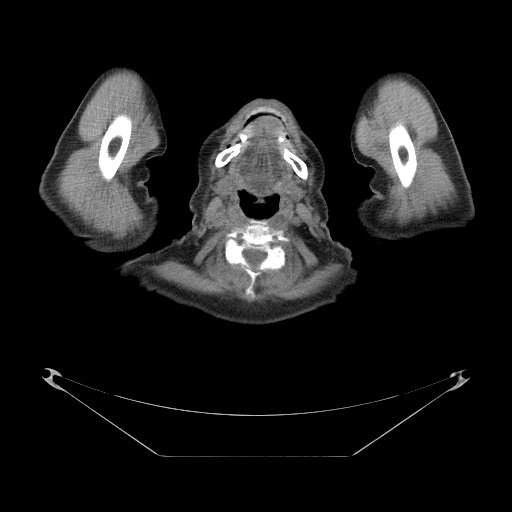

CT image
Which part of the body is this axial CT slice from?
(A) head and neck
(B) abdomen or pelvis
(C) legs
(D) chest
(A) head and neck
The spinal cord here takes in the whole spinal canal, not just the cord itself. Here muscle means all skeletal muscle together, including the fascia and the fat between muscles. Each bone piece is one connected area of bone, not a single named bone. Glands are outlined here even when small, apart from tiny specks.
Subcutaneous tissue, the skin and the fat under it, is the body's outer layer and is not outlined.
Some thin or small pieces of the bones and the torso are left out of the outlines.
{"muscle":[{"outer":[[257,101],[271,101],[285,108],[306,145],[305,150],[315,167],[313,197],[324,241],[344,256],[345,271],[312,295],[261,302],[194,292],[157,277],[144,266],[158,262],[193,239],[202,214],[200,200],[207,185],[208,157],[218,144],[218,137],[247,106]],"holes":[[[242,191],[253,196],[256,204],[278,197],[277,209],[265,218],[270,227],[282,230],[288,238],[281,243],[285,264],[279,269],[263,270],[255,278],[252,298],[245,293],[250,276],[240,264],[230,264],[225,258],[226,235],[248,224],[252,217],[240,205]],[[240,133],[249,136],[246,139],[244,145],[241,147],[240,151],[225,165],[221,167],[216,167],[215,166],[214,162],[215,161],[215,158],[218,154],[218,153],[222,151],[224,149],[227,148],[229,146],[239,142],[240,141],[240,137],[239,136],[239,134]],[[282,147],[286,147],[288,148],[299,158],[300,158],[306,164],[307,166],[307,172],[308,173],[308,175],[306,179],[303,179],[301,178],[294,171],[291,165],[289,163],[288,163],[283,158],[282,156],[282,153],[281,152],[281,148]],[[258,107],[265,107],[266,108],[272,108],[273,109],[275,109],[280,112],[284,116],[284,120],[283,120],[279,115],[277,115],[275,113],[273,113],[269,111],[262,111],[261,112],[258,112],[255,114],[250,115],[248,117],[247,117],[248,113],[251,110]]]},{"outer":[[123,69],[134,72],[143,82],[147,104],[158,126],[160,143],[146,153],[131,170],[134,198],[147,214],[146,224],[143,229],[136,229],[133,234],[114,239],[110,233],[96,232],[82,224],[59,201],[55,181],[79,141],[78,124],[88,101],[108,74]],"hole":[[119,114],[125,114],[131,119],[132,122],[131,134],[130,135],[129,142],[124,157],[118,169],[116,171],[114,176],[109,181],[106,181],[102,177],[98,167],[98,156],[99,155],[100,144],[101,143],[101,139],[109,124],[113,120],[114,117]]},{"outer":[[394,75],[402,76],[416,84],[429,101],[438,125],[435,147],[442,156],[458,195],[455,204],[448,209],[403,226],[378,219],[378,212],[386,202],[389,179],[372,158],[360,152],[355,141],[356,124],[361,111],[373,99],[378,83]],"hole":[[397,122],[400,122],[406,127],[413,143],[415,149],[415,154],[416,155],[416,161],[417,162],[416,171],[411,184],[407,188],[405,188],[401,185],[399,178],[394,168],[394,165],[391,156],[391,152],[389,147],[389,137],[388,136],[389,130],[390,128]]}],"head_and_neck":[{"outer":[[258,96],[275,97],[289,106],[323,156],[325,179],[321,190],[329,209],[327,226],[333,238],[333,249],[319,291],[300,314],[270,324],[243,325],[212,317],[190,300],[182,286],[180,241],[191,226],[188,202],[198,181],[196,158],[201,142],[238,108]],"hole":[[242,191],[250,196],[253,196],[255,198],[254,202],[256,204],[264,203],[266,201],[266,198],[268,197],[271,197],[275,195],[277,196],[278,197],[277,209],[273,213],[265,217],[258,218],[248,215],[244,212],[240,205],[241,199],[239,195],[239,192]]}],"left_arm":[[[396,68],[419,77],[435,98],[462,158],[472,187],[476,216],[465,229],[441,230],[415,239],[393,241],[391,245],[378,245],[366,239],[356,223],[354,209],[361,199],[371,194],[368,181],[373,169],[355,161],[349,131],[358,100],[366,85],[379,72]]],"torso":[[[178,236],[180,236],[179,259],[181,286],[189,300],[200,311],[176,304],[161,296],[156,295],[153,292],[144,291],[138,288],[133,280],[129,278],[120,279],[115,275],[111,275],[109,273],[113,268],[125,260],[135,257],[147,251],[157,249],[172,238]],[[334,238],[351,249],[355,257],[355,264],[357,266],[361,267],[360,275],[358,278],[357,283],[348,288],[346,290],[346,293],[341,295],[335,303],[323,306],[316,310],[297,316],[300,315],[311,304],[322,287],[330,267],[331,259],[333,256]]],"submandibular_glands":[[[295,187],[297,187],[301,191],[301,192],[302,193],[302,195],[301,196],[301,197],[298,200],[297,200],[296,201],[295,200],[294,200],[293,199],[293,198],[292,197],[292,194],[291,193],[291,190],[293,188],[294,188]]],"right_arm":[[[120,63],[135,66],[151,82],[159,100],[167,148],[162,155],[146,162],[150,169],[146,184],[160,202],[159,223],[153,235],[140,248],[127,255],[103,259],[84,246],[80,238],[70,234],[46,209],[38,197],[37,188],[57,139],[89,86],[104,69]]],"spinal_cord":[[[245,249],[257,249],[258,250],[261,250],[262,251],[264,251],[266,253],[266,256],[265,257],[265,258],[264,258],[263,259],[263,260],[262,260],[255,267],[254,267],[253,268],[252,267],[252,266],[247,261],[247,260],[243,255],[243,251]]],"bones":[{"outer":[[252,217],[265,218],[270,227],[282,230],[288,238],[288,241],[281,243],[285,253],[285,264],[279,269],[263,270],[255,278],[253,285],[254,297],[252,298],[245,293],[251,281],[250,276],[240,264],[230,264],[225,258],[226,235],[232,230],[248,224]],"hole":[[245,249],[257,249],[258,250],[261,250],[262,251],[264,251],[266,253],[266,256],[265,257],[265,258],[264,258],[263,259],[263,260],[262,260],[255,267],[254,267],[253,268],[252,267],[252,266],[247,261],[247,260],[243,255],[243,251]]},[[119,114],[125,114],[131,119],[132,122],[131,134],[130,135],[129,142],[124,157],[118,169],[116,171],[114,176],[109,181],[106,181],[102,177],[98,167],[98,156],[99,155],[100,144],[101,143],[101,139],[109,124],[113,120],[114,117]],[[397,122],[400,122],[406,127],[413,143],[415,149],[415,154],[416,155],[416,161],[417,162],[416,171],[411,184],[407,188],[405,188],[401,185],[399,178],[394,168],[394,165],[391,156],[391,152],[389,147],[389,137],[388,136],[389,130],[390,128]],[[240,133],[249,136],[246,139],[244,145],[241,147],[240,151],[225,165],[221,167],[216,167],[215,166],[214,162],[215,161],[215,158],[218,154],[218,153],[222,151],[224,149],[227,148],[229,146],[239,142],[240,141],[240,137],[239,136],[239,134]],[[282,147],[286,147],[288,148],[299,158],[300,158],[306,164],[307,166],[307,172],[308,173],[308,175],[306,179],[303,179],[301,178],[294,171],[291,165],[289,163],[288,163],[283,158],[282,156],[282,153],[281,152],[281,148]],[[258,107],[265,107],[266,108],[272,108],[273,109],[275,109],[280,112],[284,116],[284,120],[283,120],[279,115],[277,115],[275,113],[273,113],[269,111],[262,111],[261,112],[258,112],[255,114],[250,115],[248,117],[247,117],[248,113],[251,110]]]}